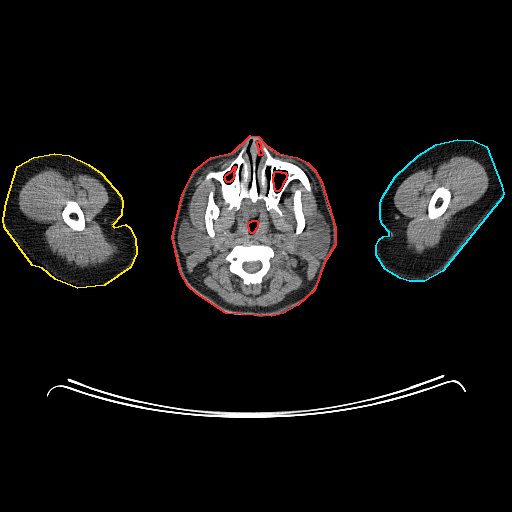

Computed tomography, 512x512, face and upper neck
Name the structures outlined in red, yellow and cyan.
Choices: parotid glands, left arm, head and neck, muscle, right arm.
red: head and neck; yellow: right arm; cyan: left arm.
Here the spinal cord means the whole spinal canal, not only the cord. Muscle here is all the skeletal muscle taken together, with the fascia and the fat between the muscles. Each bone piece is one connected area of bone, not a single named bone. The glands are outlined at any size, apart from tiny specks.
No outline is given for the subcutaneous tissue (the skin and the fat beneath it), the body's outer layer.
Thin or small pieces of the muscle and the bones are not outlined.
{"head_and_neck":[{"outer":[[250,135],[258,136],[265,144],[278,153],[297,157],[307,162],[314,169],[321,181],[335,227],[335,245],[324,262],[314,290],[297,305],[283,313],[271,316],[226,313],[197,294],[188,286],[180,272],[172,237],[182,194],[194,170],[211,157],[232,152]],"holes":[[[275,171],[280,171],[281,172],[285,172],[285,173],[286,174],[286,178],[285,179],[285,180],[283,182],[283,183],[282,184],[280,189],[278,191],[276,191],[275,190],[275,189],[274,188],[274,183],[273,182],[273,176],[274,175],[274,172]],[[252,220],[256,220],[257,221],[257,227],[255,229],[255,230],[252,233],[251,233],[249,231],[249,228],[248,227],[248,223],[250,221],[251,221]],[[234,166],[235,166],[235,168],[234,169],[234,172],[233,173],[233,178],[231,180],[231,181],[230,181],[229,182],[227,182],[225,180],[225,179],[224,178],[225,177],[226,174],[227,174],[229,172],[230,172],[233,169]],[[257,141],[259,141],[259,142],[260,143],[260,148],[261,149],[261,150],[262,151],[262,154],[261,155],[259,155],[259,149],[258,148],[258,146],[257,145]]]}],"right_arm":[[[54,153],[69,155],[88,164],[101,173],[120,195],[122,201],[121,215],[112,225],[114,227],[125,224],[129,227],[135,238],[136,253],[130,267],[104,285],[77,288],[55,279],[42,268],[32,265],[4,227],[3,219],[6,202],[17,166],[33,157]]],"left_arm":[[[457,139],[473,140],[486,146],[501,185],[503,193],[502,197],[442,271],[424,281],[409,281],[400,278],[385,269],[376,255],[376,245],[379,239],[383,236],[389,235],[389,232],[382,224],[380,218],[380,203],[382,197],[395,176],[418,155],[436,144]]],"muscle":[{"outer":[[232,158],[222,169],[210,170],[204,176],[205,182],[219,182],[228,211],[238,210],[243,199],[252,203],[261,200],[267,211],[274,210],[280,216],[278,205],[291,181],[299,181],[311,192],[305,171],[281,159],[305,168],[320,198],[322,213],[315,214],[302,234],[302,244],[320,258],[315,275],[304,287],[271,306],[236,306],[225,302],[194,279],[182,252],[189,254],[203,243],[203,237],[185,216],[197,178],[208,166]],"holes":[[[249,242],[253,244],[269,245],[274,250],[274,256],[270,260],[270,267],[268,271],[262,277],[261,282],[254,285],[252,284],[251,285],[245,284],[243,282],[243,280],[238,275],[231,272],[229,269],[230,263],[225,259],[228,253],[234,246],[248,244]],[[210,191],[212,191],[213,192],[214,201],[216,205],[219,208],[219,214],[218,216],[212,221],[213,223],[213,230],[214,231],[214,236],[213,237],[210,237],[209,236],[207,232],[206,227],[205,226],[205,211],[207,207],[208,198],[209,197],[209,193]],[[297,189],[299,189],[301,191],[301,208],[302,209],[302,212],[303,213],[303,215],[305,219],[305,226],[303,230],[300,233],[298,234],[295,234],[295,229],[296,228],[296,220],[295,219],[294,213],[293,212],[293,197],[294,196],[295,191]],[[252,220],[256,220],[257,221],[257,227],[255,229],[255,230],[252,233],[251,233],[249,231],[249,228],[248,227],[248,223],[250,221],[251,221]]]},{"outer":[[47,167],[70,169],[87,174],[99,180],[105,187],[109,196],[105,212],[106,220],[113,235],[113,240],[119,248],[119,252],[111,259],[94,266],[78,267],[74,264],[69,264],[63,258],[51,252],[37,223],[22,213],[18,204],[21,186],[30,176]],"hole":[[67,200],[73,200],[77,202],[77,203],[79,205],[83,213],[83,215],[84,216],[84,219],[85,220],[85,228],[83,230],[81,230],[80,231],[73,230],[64,221],[62,217],[62,211],[64,207],[66,205],[66,201]]},{"outer":[[454,155],[467,155],[478,160],[485,167],[487,172],[489,179],[488,187],[476,202],[454,215],[436,246],[425,254],[415,254],[411,249],[406,247],[399,233],[393,202],[395,192],[398,186],[412,173],[420,169],[426,169],[430,166],[435,167],[440,162]],"hole":[[440,186],[443,186],[447,188],[449,190],[451,194],[451,196],[450,197],[450,200],[448,203],[448,205],[445,211],[440,216],[439,216],[435,219],[430,219],[428,217],[428,204],[429,203],[429,201],[431,198],[431,196],[432,194],[435,191],[435,190]]}],"parotid_glands":[[[318,213],[319,214],[322,214],[325,221],[327,222],[329,226],[329,244],[327,247],[327,249],[325,253],[321,257],[319,256],[317,256],[316,255],[314,255],[303,244],[303,234],[305,230],[310,226],[310,224],[312,223],[312,221],[314,219],[316,214]],[[184,217],[187,217],[190,220],[191,225],[193,226],[196,230],[197,230],[199,234],[202,237],[202,243],[201,245],[197,249],[193,251],[191,251],[189,253],[185,253],[182,251],[178,242],[178,234],[179,233],[179,229],[181,225],[181,220]]],"bones":[{"outer":[[254,139],[259,156],[263,154],[261,142],[272,156],[300,167],[309,180],[311,191],[297,179],[288,183],[277,205],[280,215],[267,210],[261,199],[243,198],[238,209],[228,210],[220,182],[215,178],[205,181],[207,173],[225,168],[248,142],[248,153]],"holes":[[[275,171],[280,171],[281,172],[285,172],[285,173],[286,174],[286,178],[285,179],[285,180],[283,182],[283,183],[282,184],[280,189],[278,191],[276,191],[275,190],[275,189],[274,188],[274,183],[273,182],[273,176],[274,175],[274,172]],[[234,166],[235,166],[235,168],[234,169],[234,172],[233,173],[233,178],[231,180],[231,181],[230,181],[229,182],[227,182],[225,180],[225,179],[224,178],[225,177],[226,174],[227,174],[229,172],[230,172],[233,169]]]},{"outer":[[249,242],[253,244],[269,245],[274,250],[274,256],[270,260],[270,267],[268,271],[262,277],[261,282],[254,285],[252,284],[251,285],[245,284],[243,282],[243,280],[238,275],[231,272],[229,269],[230,263],[225,259],[228,253],[234,246],[248,244]],"hole":[[255,261],[259,261],[260,262],[260,263],[261,264],[261,266],[260,267],[260,268],[257,271],[256,271],[255,272],[254,272],[253,273],[250,273],[249,272],[247,272],[243,268],[243,264],[245,262],[254,262]]},[[440,186],[443,186],[447,188],[449,190],[451,194],[451,196],[450,197],[450,200],[448,203],[448,205],[445,211],[440,216],[439,216],[435,219],[430,219],[428,217],[428,204],[429,203],[429,201],[431,198],[431,196],[432,194],[435,191],[435,190]],[[67,200],[73,200],[77,202],[77,203],[79,205],[83,213],[83,215],[84,216],[84,219],[85,220],[85,228],[83,230],[81,230],[80,231],[73,230],[64,221],[62,217],[62,211],[64,207],[66,205],[66,201]],[[210,191],[212,191],[213,192],[214,201],[216,205],[219,208],[219,214],[218,216],[212,221],[213,223],[213,230],[214,231],[214,236],[213,237],[210,237],[209,236],[207,232],[206,227],[205,226],[205,211],[207,207],[208,198],[209,197],[209,193]],[[297,189],[299,189],[301,191],[301,208],[302,209],[302,212],[303,213],[303,215],[305,219],[305,226],[303,230],[300,233],[298,234],[295,234],[295,229],[296,228],[296,220],[295,219],[294,213],[293,212],[293,197],[294,196],[295,191]]],"spinal_cord":[[[255,261],[259,261],[260,262],[260,263],[261,264],[261,266],[260,267],[260,268],[257,271],[256,271],[255,272],[254,272],[253,273],[250,273],[249,272],[247,272],[243,268],[243,264],[245,262],[254,262]]]}